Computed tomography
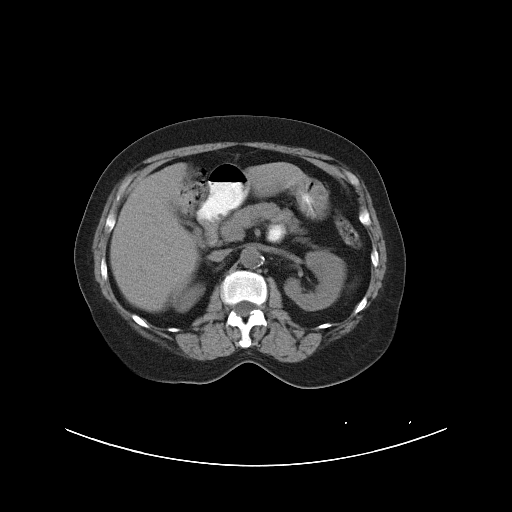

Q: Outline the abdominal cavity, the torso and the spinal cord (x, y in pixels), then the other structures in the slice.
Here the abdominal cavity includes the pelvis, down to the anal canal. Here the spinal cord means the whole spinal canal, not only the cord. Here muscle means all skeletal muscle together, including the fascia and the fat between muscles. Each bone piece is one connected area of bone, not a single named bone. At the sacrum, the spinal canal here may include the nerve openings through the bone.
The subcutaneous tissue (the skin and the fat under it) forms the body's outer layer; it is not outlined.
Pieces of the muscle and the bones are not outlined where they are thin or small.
A: {"abdominal_cavity":[[[231,146],[290,154],[333,176],[357,198],[358,219],[370,239],[370,277],[364,295],[342,320],[301,325],[283,308],[276,282],[248,269],[226,274],[214,287],[205,312],[187,327],[152,324],[116,297],[108,275],[106,247],[116,215],[132,187],[172,160]]],"torso":[[[230,114],[291,118],[329,129],[360,147],[383,179],[405,248],[404,291],[396,333],[388,349],[349,380],[320,388],[300,388],[246,362],[209,383],[153,381],[120,362],[92,319],[78,285],[73,255],[80,221],[103,170],[122,149],[151,131],[192,118]]],"spinal_cord":[[[242,301],[247,301],[248,302],[250,302],[254,305],[255,305],[255,307],[254,308],[253,308],[249,312],[249,314],[246,317],[242,317],[241,316],[238,315],[236,313],[236,312],[233,308],[236,304],[237,304],[239,302],[241,302]]],"bones":[{"outer":[[236,270],[248,270],[257,273],[264,278],[267,284],[267,297],[260,306],[267,323],[266,325],[254,325],[251,327],[249,331],[251,345],[245,348],[237,344],[241,338],[240,329],[237,326],[226,325],[231,307],[224,303],[220,296],[221,283],[224,278]],"hole":[[242,301],[247,301],[248,302],[250,302],[254,305],[255,305],[255,307],[254,308],[253,308],[249,312],[249,314],[246,317],[242,317],[241,316],[238,315],[236,313],[236,312],[233,308],[236,304],[237,304],[239,302],[241,302]]},[[113,206],[114,206],[114,211],[115,212],[115,222],[114,223],[114,225],[113,226],[112,229],[110,231],[110,232],[109,233],[108,233],[104,230],[104,228],[105,227],[105,222],[106,221],[106,218],[107,217],[108,214],[110,212],[110,210],[113,207]],[[362,207],[364,207],[365,208],[366,208],[367,209],[367,210],[369,213],[369,217],[371,220],[371,223],[370,224],[370,225],[369,225],[368,226],[366,226],[365,225],[364,225],[360,221],[360,220],[359,219],[359,212],[360,211],[360,209]],[[131,175],[132,175],[132,178],[129,182],[129,183],[126,186],[125,189],[123,191],[123,193],[122,194],[122,196],[120,200],[115,204],[115,199],[116,198],[116,195],[117,194],[118,189],[120,187],[120,186],[122,184],[124,180],[128,176],[130,176]],[[345,171],[349,171],[350,172],[351,172],[358,179],[358,181],[359,182],[359,184],[357,186],[356,186],[355,187],[354,186],[353,186],[349,182],[349,181],[348,180],[348,178],[347,177],[347,176],[345,174],[345,173],[344,172]],[[364,296],[366,296],[366,297],[367,298],[367,302],[366,303],[366,304],[365,305],[365,306],[360,311],[359,311],[357,313],[356,313],[355,314],[353,314],[353,311],[354,310],[354,309],[356,307],[356,306],[357,305],[357,304],[361,300],[361,299]],[[102,258],[105,258],[105,261],[106,262],[106,264],[107,265],[107,275],[108,276],[108,277],[106,279],[104,279],[102,277],[102,276],[101,275],[101,260],[102,259]],[[133,313],[134,314],[136,314],[138,316],[139,316],[141,318],[142,318],[149,325],[149,328],[146,328],[145,327],[144,327],[143,326],[142,326],[141,325],[140,325],[139,324],[138,324],[132,318],[132,314]]],"muscle":[{"outer":[[225,141],[263,141],[303,147],[337,159],[364,181],[380,220],[387,256],[380,294],[351,332],[301,361],[282,362],[250,347],[252,327],[266,326],[268,323],[261,308],[268,297],[268,284],[265,279],[271,278],[275,282],[281,294],[282,308],[294,322],[305,327],[326,329],[333,322],[342,321],[352,312],[355,315],[366,306],[368,298],[365,294],[370,282],[371,266],[375,268],[379,265],[379,254],[375,247],[372,248],[366,227],[372,223],[370,213],[366,207],[360,208],[358,198],[351,189],[319,166],[290,153],[249,145],[231,145],[177,157],[140,178],[131,187],[116,214],[113,205],[105,218],[103,230],[109,235],[105,257],[100,260],[100,275],[104,280],[109,279],[115,297],[132,313],[131,318],[138,325],[149,329],[149,323],[167,328],[172,333],[187,328],[206,312],[210,297],[220,284],[219,296],[230,307],[225,325],[239,329],[240,338],[236,344],[242,348],[240,350],[211,360],[197,360],[177,354],[135,331],[105,298],[95,280],[91,248],[97,222],[109,193],[125,172],[144,159],[166,150]],"holes":[[[131,175],[132,175],[132,178],[129,182],[129,183],[126,186],[125,189],[123,191],[123,193],[122,194],[122,196],[120,200],[115,204],[115,199],[116,198],[116,195],[117,194],[118,189],[120,187],[120,186],[122,184],[124,180],[128,176],[130,176]],[[345,171],[349,171],[350,172],[351,172],[358,179],[358,181],[359,182],[359,184],[357,186],[356,186],[355,187],[354,186],[353,186],[349,182],[349,181],[348,180],[348,178],[347,177],[347,176],[345,174],[345,173],[344,172]]]}]}